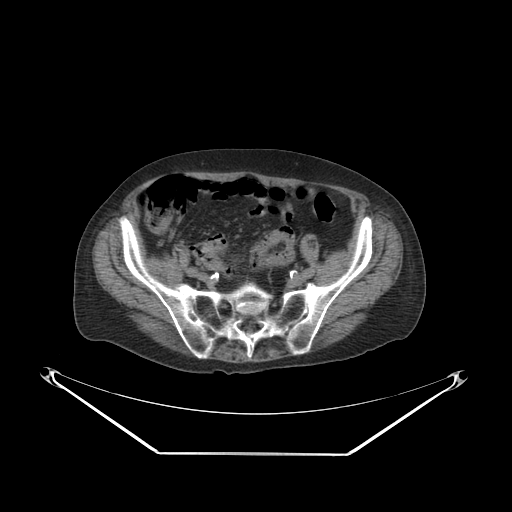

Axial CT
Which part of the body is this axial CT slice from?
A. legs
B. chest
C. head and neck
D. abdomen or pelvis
D. abdomen or pelvis
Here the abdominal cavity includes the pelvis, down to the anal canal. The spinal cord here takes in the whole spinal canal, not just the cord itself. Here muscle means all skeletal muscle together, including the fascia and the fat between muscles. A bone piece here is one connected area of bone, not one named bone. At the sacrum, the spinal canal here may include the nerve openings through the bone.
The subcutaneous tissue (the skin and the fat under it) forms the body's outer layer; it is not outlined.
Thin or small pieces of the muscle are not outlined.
Outlines (x, y in pixels):
bones: 122,215 160,282 219,292 253,282 273,295 270,312 283,293 308,282 329,284 348,268 365,216 372,220 372,255 327,308 308,352 293,355 286,338 275,335 260,339 249,358 243,341 218,337 201,359 126,266, around holes outlined by 241,322 252,322 253,323 262,323 263,324 263,326 261,328 260,328 258,330 257,330 256,331 255,331 254,332 253,332 252,333 246,333 243,330 242,330 237,325 237,324 238,323 240,323 and by 223,300 225,300 227,302 228,302 230,304 230,312 229,313 228,313 227,314 221,314 220,313 220,311 219,310 219,305 220,304 220,303
muscle 1: 174,170 252,170 323,181 358,191 391,215 401,235 403,259 398,278 349,335 309,352 328,308 372,258 372,218 367,214 361,219 347,268 335,280 316,284 311,281 317,270 300,256 301,240 307,234 317,236 320,262 326,254 345,248 354,223 351,202 346,195 311,183 265,185 250,174 221,181 168,173 137,194 138,226 148,254 170,256 172,248 177,246 188,251 190,261 182,269 186,281 172,287 151,274 144,263 132,223 125,214 117,221 125,266 166,308 183,343 195,357 171,350 139,330 125,315 125,308 97,282 92,248 110,213 134,188 163,172
muscle 2: 275,336 285,338 285,342 288,350 292,355 290,356 269,361 244,363 232,363 221,360 208,359 213,349 214,342 218,338 226,338 228,340 238,340 243,342 245,345 246,356 250,359 253,355 256,344 260,340
torso: 221,147 279,148 315,155 349,167 389,191 410,217 424,258 426,296 413,331 404,339 389,342 346,360 247,374 180,371 112,343 84,338 78,332 73,317 73,273 78,242 92,214 126,177 143,165 178,152
abdominal cavity: 168,174 221,182 250,175 265,186 327,188 349,199 351,232 345,247 321,261 318,236 304,235 299,256 316,273 279,300 253,281 229,291 198,289 184,276 189,251 177,245 170,255 148,253 139,226 138,194
spinal cord 1: 241,322 252,322 253,323 262,323 263,324 263,326 261,328 260,328 258,330 257,330 256,331 255,331 254,332 253,332 252,333 246,333 243,330 242,330 237,325 237,324 238,323 240,323
spinal cord 2: 223,300 225,300 227,302 228,302 230,304 230,312 229,313 228,313 227,314 221,314 220,313 220,311 219,310 219,305 220,304 220,303
spinal cord 3: 273,300 276,300 277,301 278,301 279,302 279,305 278,306 278,307 277,308 277,309 276,310 275,310 274,311 270,311 269,310 269,307 270,306 270,305 272,303 272,301